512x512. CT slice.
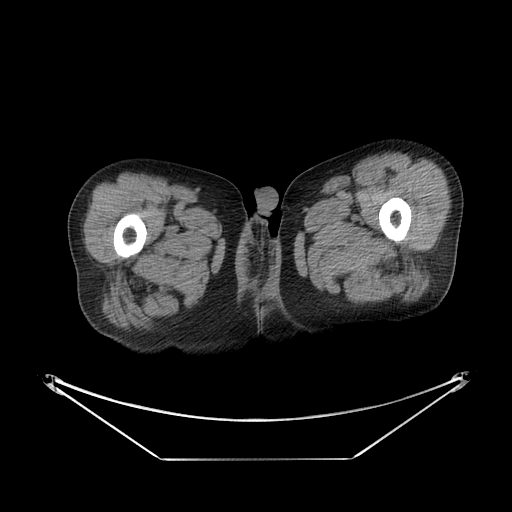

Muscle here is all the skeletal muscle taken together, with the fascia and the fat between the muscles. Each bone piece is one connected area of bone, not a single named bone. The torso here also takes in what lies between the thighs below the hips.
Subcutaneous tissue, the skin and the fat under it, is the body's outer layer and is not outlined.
Outlined structures:
torso: 264 184; 273 186; 278 192; 278 203; 268 218; 268 227; 273 235; 277 231; 279 237; 280 277; 278 299; 274 307; 268 314; 258 319; 244 304; 239 292; 236 258; 242 231; 248 220; 247 211; 250 215; 255 208; 253 190; 256 186
bones 1: 128 213; 136 213; 139 215; 145 224; 147 233; 146 234; 145 242; 141 250; 136 254; 131 255; 129 257; 126 258; 123 258; 121 256; 118 255; 114 249; 113 246; 113 233; 114 232; 114 228; 119 219; 125 214
bones 2: 395 196; 398 196; 404 199; 408 203; 411 210; 411 221; 410 222; 409 229; 405 236; 405 238; 398 242; 396 242; 391 239; 389 239; 383 233; 379 225; 379 220; 378 219; 378 213; 379 212; 380 207; 382 204; 389 198; 394 197
left leg: 391 137; 415 140; 436 149; 458 173; 464 206; 455 270; 447 294; 433 311; 417 319; 365 322; 352 326; 346 333; 306 337; 295 346; 266 351; 258 320; 268 315; 279 299; 282 247; 277 230; 287 186; 299 173; 325 159; 364 143
right leg: 130 157; 159 158; 201 168; 225 177; 239 189; 247 220; 236 250; 237 289; 243 304; 259 324; 259 339; 245 357; 212 364; 194 363; 173 349; 155 357; 137 355; 95 331; 83 316; 67 238; 69 208; 78 189; 92 173; 106 164
muscle 1: 385 151; 400 151; 411 157; 425 157; 439 164; 449 187; 451 207; 441 236; 434 251; 428 257; 430 282; 424 297; 401 306; 355 306; 333 299; 310 287; 298 275; 293 255; 294 242; 307 210; 323 184; 329 178; 340 175; 366 156, around a hole outlined by 395 196; 398 196; 404 199; 408 203; 411 210; 411 221; 410 222; 409 229; 405 236; 405 238; 398 242; 396 242; 391 239; 389 239; 383 233; 379 225; 379 220; 378 219; 378 213; 379 212; 380 207; 382 204; 389 198; 394 197
muscle 2: 123 171; 163 176; 169 181; 194 190; 201 203; 213 212; 219 220; 226 236; 225 257; 219 275; 211 289; 194 308; 157 326; 154 331; 144 333; 117 328; 103 317; 101 288; 104 275; 86 252; 82 240; 82 218; 85 215; 94 187 with a hole at 128 213; 136 213; 139 215; 145 224; 147 233; 146 234; 145 242; 141 250; 136 254; 131 255; 129 257; 126 258; 123 258; 121 256; 118 255; 114 249; 113 246; 113 233; 114 232; 114 228; 119 219; 125 214